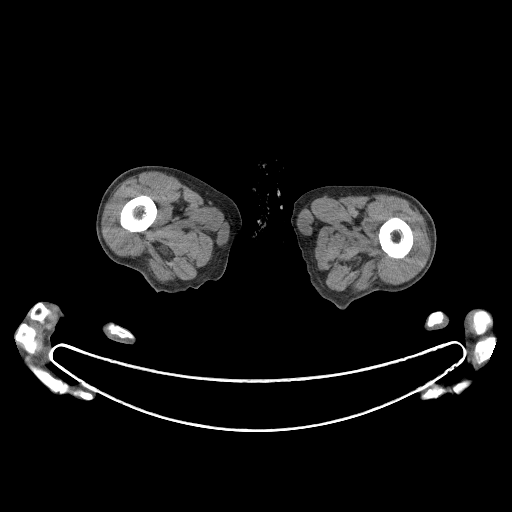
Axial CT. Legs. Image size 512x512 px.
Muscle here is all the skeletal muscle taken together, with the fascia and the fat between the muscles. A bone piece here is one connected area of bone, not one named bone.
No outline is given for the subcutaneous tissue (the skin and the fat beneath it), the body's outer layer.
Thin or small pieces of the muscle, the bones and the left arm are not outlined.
Outlines (x, y in pixels):
bones 1: (391, 217) (398, 217) (402, 219) (409, 225) (412, 230) (412, 234) (413, 235) (413, 243) (412, 244) (412, 246) (408, 253) (402, 258) (394, 258) (393, 257) (390, 257) (382, 249) (379, 242) (379, 238) (378, 237) (378, 234) (379, 233) (379, 228) (380, 226) (386, 220)
bones 2: (138, 195) (147, 195) (149, 196) (153, 200) (156, 205) (156, 207) (157, 208) (157, 213) (154, 221) (150, 225) (150, 226) (145, 230) (141, 232) (131, 232) (127, 229) (122, 227) (120, 224) (120, 221) (119, 220) (120, 218) (120, 212) (123, 206) (127, 201)
bones 3: (26, 356) (28, 356) (34, 364) (49, 371) (55, 377) (59, 378) (65, 382) (71, 390) (75, 390) (80, 388) (87, 391) (92, 397) (89, 399) (81, 399) (77, 398) (75, 395) (73, 395) (70, 392) (55, 393) (51, 391) (29, 369) (24, 361) (24, 357)
bones 4: (22, 323) (26, 323) (35, 330) (35, 339) (38, 342) (39, 344) (39, 347) (33, 354) (29, 354) (23, 348) (23, 347) (21, 345) (20, 345) (19, 343) (17, 343) (16, 342) (16, 340) (15, 339) (15, 333) (16, 332) (17, 328) (20, 325) (20, 324)
bones 5: (490, 335) (493, 335) (495, 336) (495, 338) (496, 339) (495, 340) (495, 345) (494, 346) (493, 351) (490, 357) (486, 361) (483, 362) (481, 364) (478, 364) (476, 363) (474, 360) (474, 349) (475, 348) (475, 345) (476, 343) (479, 340) (487, 336) (489, 336)
bones 6: (467, 378) (471, 381) (471, 383) (465, 389) (464, 389) (458, 394) (454, 393) (451, 391) (447, 391) (442, 393) (437, 397) (429, 398) (428, 399) (424, 399) (422, 398) (425, 396) (425, 392) (429, 389) (432, 388) (435, 385) (441, 385) (445, 388) (450, 388) (457, 382)
bones 7: (478, 310) (485, 310) (490, 315) (490, 316) (491, 317) (491, 319) (492, 320) (492, 321) (491, 322) (491, 324) (486, 329) (485, 332) (484, 333) (483, 333) (482, 334) (480, 334) (479, 335) (476, 333) (476, 332) (473, 327) (473, 313) (475, 311) (477, 311)
bones 8: (38, 302) (41, 302) (43, 304) (44, 304) (44, 305) (48, 309) (49, 309) (51, 312) (51, 313) (45, 318) (45, 319) (44, 320) (44, 322) (43, 323) (41, 323) (37, 320) (34, 320) (33, 319) (32, 319) (29, 315) (29, 312) (32, 308) (32, 307)
bones 9: (109, 323) (113, 323) (114, 324) (115, 324) (116, 325) (117, 325) (118, 326) (119, 326) (120, 327) (127, 330) (133, 336) (133, 338) (122, 338) (121, 337) (119, 337) (116, 335) (114, 335) (113, 334) (110, 334) (109, 333) (108, 330) (106, 328) (107, 325)
bones 10: (438, 311) (439, 311) (440, 312) (442, 312) (442, 313) (444, 316) (443, 321) (441, 323) (440, 323) (439, 324) (435, 324) (432, 326) (429, 326) (427, 324) (427, 321) (428, 320) (428, 317) (429, 316) (429, 315) (430, 314) (431, 314) (433, 312) (437, 312)
left arm 1: (478, 306) (485, 307) (492, 313) (493, 323) (496, 331) (496, 335) (495, 336) (496, 339) (493, 351) (490, 357) (487, 360) (487, 362) (485, 365) (481, 369) (474, 371) (466, 363) (466, 353) (467, 351) (465, 345) (465, 336) (464, 335) (463, 321) (466, 313) (470, 309)
left arm 2: (464, 376) (469, 379) (471, 381) (471, 383) (458, 394) (451, 391) (447, 391) (442, 393) (437, 397) (428, 399) (424, 399) (421, 396) (421, 390) (432, 382) (434, 382) (436, 385) (440, 385) (444, 382) (445, 384) (443, 386) (445, 388) (447, 387) (450, 388) (460, 378)
left arm 3: (438, 311) (440, 312) (442, 312) (443, 311) (445, 312) (448, 315) (449, 317) (449, 322) (448, 324) (445, 327) (441, 329) (438, 329) (437, 330) (434, 330) (433, 331) (427, 331) (425, 330) (423, 328) (423, 325) (425, 322) (425, 320) (426, 318) (433, 312) (437, 312)
right arm 1: (44, 300) (57, 304) (64, 314) (57, 322) (55, 330) (50, 337) (51, 355) (47, 367) (57, 378) (70, 387) (76, 384) (89, 387) (95, 393) (95, 397) (81, 399) (70, 392) (55, 393) (51, 391) (34, 375) (24, 361) (15, 339) (15, 331) (26, 313) (35, 304)
right arm 2: (106, 322) (112, 322) (114, 324) (127, 330) (133, 336) (133, 338) (135, 341) (133, 343) (125, 343) (124, 342) (119, 342) (118, 341) (116, 341) (115, 340) (113, 340) (112, 339) (109, 338) (103, 333) (103, 332) (102, 331) (102, 329) (101, 328) (102, 325)
right leg: (144, 165) (168, 166) (187, 172) (223, 192) (237, 205) (241, 215) (241, 228) (230, 249) (225, 271) (219, 279) (208, 280) (196, 289) (188, 288) (177, 293) (157, 292) (138, 271) (114, 262) (102, 249) (95, 229) (96, 214) (101, 197) (109, 184) (119, 174) (130, 168)
left leg: (327, 185) (386, 186) (406, 192) (415, 197) (431, 215) (436, 230) (435, 254) (426, 273) (417, 282) (404, 290) (395, 292) (377, 290) (353, 301) (344, 310) (339, 309) (333, 303) (320, 296) (310, 282) (306, 264) (302, 257) (290, 219) (293, 204) (298, 197) (311, 189)
muscle 1: (335, 192) (387, 193) (409, 201) (424, 217) (430, 228) (430, 251) (426, 263) (422, 269) (408, 281) (397, 285) (376, 283) (357, 293) (345, 295) (332, 293) (326, 290) (319, 283) (315, 276) (313, 249) (298, 229) (296, 220) (299, 212) (304, 205) (313, 198) (322, 194); inner edge: (391, 217) (398, 217) (402, 219) (409, 225) (412, 230) (412, 234) (413, 235) (413, 243) (412, 244) (412, 246) (408, 253) (402, 258) (394, 258) (393, 257) (390, 257) (382, 249) (379, 242) (379, 238) (378, 237) (378, 234) (379, 233) (379, 228) (380, 226) (386, 220)
muscle 2: (144, 171) (159, 171) (181, 179) (194, 190) (227, 212) (230, 217) (231, 233) (227, 242) (221, 248) (211, 266) (203, 274) (190, 281) (177, 284) (160, 283) (143, 262) (115, 254) (107, 245) (102, 235) (101, 219) (104, 206) (108, 200) (110, 192) (114, 187) (128, 177), around a hole outlined by (138, 195) (147, 195) (149, 196) (153, 200) (156, 205) (156, 207) (157, 208) (157, 213) (154, 221) (150, 225) (150, 226) (145, 230) (141, 232) (131, 232) (127, 229) (122, 227) (120, 224) (120, 221) (119, 220) (120, 218) (120, 212) (123, 206) (127, 201)
muscle 3: (45, 304) (52, 305) (57, 309) (57, 316) (53, 322) (51, 328) (45, 331) (45, 335) (43, 339) (43, 344) (48, 351) (47, 353) (48, 358) (47, 358) (44, 362) (44, 365) (46, 369) (34, 363) (28, 355) (25, 356) (23, 351) (23, 349) (29, 355) (33, 355) (40, 347) (40, 344) (36, 339) (36, 330) (32, 326) (27, 323) (29, 317) (32, 320) (37, 321) (41, 324) (43, 324) (45, 322) (46, 318) (52, 313) (51, 310) (48, 308)
muscle 4: (472, 314) (472, 327) (475, 333) (477, 335) (479, 336) (480, 335) (484, 334) (486, 332) (488, 328) (487, 332) (486, 333) (488, 335) (489, 335) (487, 335) (479, 339) (477, 341) (479, 337) (478, 336) (475, 336) (471, 332) (470, 332) (470, 330) (469, 329) (469, 317)
muscle 5: (474, 343) (475, 343) (475, 344) (474, 345) (474, 348) (473, 349) (473, 360) (474, 362) (478, 365) (481, 365) (483, 363) (483, 364) (481, 366) (481, 369) (479, 370) (477, 368) (476, 368) (472, 361) (472, 352) (473, 351) (473, 347) (472, 346) (474, 344)